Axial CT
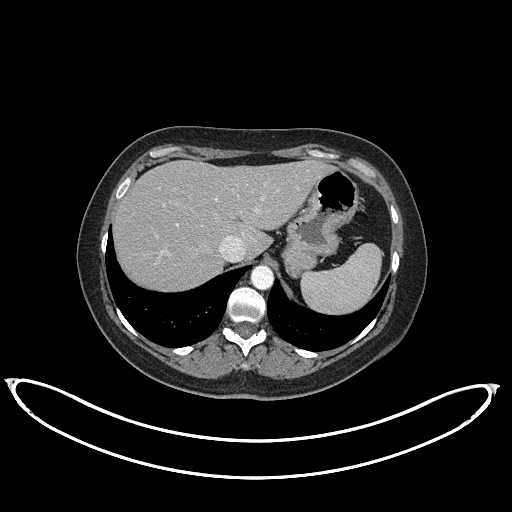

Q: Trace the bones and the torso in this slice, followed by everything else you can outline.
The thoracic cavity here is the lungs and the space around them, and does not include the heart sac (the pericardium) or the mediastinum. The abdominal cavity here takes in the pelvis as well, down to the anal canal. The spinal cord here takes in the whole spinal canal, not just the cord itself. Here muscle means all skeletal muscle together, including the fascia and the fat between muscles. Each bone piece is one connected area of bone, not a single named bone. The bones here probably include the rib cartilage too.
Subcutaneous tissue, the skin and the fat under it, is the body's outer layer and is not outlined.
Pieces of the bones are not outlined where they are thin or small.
A: The bones appear in 10 outlined pieces: piece 1: [[245,356],[247,355],[252,346],[263,342],[267,336],[266,331],[261,325],[266,316],[266,302],[259,293],[247,286],[235,288],[231,292],[228,298],[225,311],[225,315],[228,318],[230,324],[222,328],[222,333],[225,338],[229,341],[236,343],[241,348]]; inner edge: [[244,338],[247,338],[248,337],[249,337],[254,332],[255,332],[256,331],[256,326],[255,325],[255,324],[253,324],[250,322],[247,322],[246,321],[245,321],[244,322],[239,322],[238,323],[236,323],[236,324],[235,325],[235,327],[234,328],[235,331]]; piece 2: [[376,187],[377,187],[377,185],[372,180],[375,177],[374,171],[362,162],[353,158],[349,159],[346,162],[341,162],[337,160],[338,158],[337,154],[323,152],[318,149],[307,150],[307,152],[310,155],[339,161],[340,163],[351,167],[357,171],[364,179]]; piece 3: [[151,158],[157,158],[158,157],[163,156],[166,154],[168,154],[174,151],[180,151],[181,149],[177,146],[173,146],[172,147],[166,147],[165,148],[161,148],[160,149],[156,149],[155,150],[150,150],[149,151],[149,156]]; piece 4: [[117,199],[120,199],[122,197],[122,196],[125,193],[125,192],[127,190],[127,189],[128,188],[128,187],[131,182],[131,177],[130,176],[128,176],[127,177],[126,177],[118,185],[118,187],[117,188],[117,190],[116,191],[116,194],[115,195],[115,196]]; piece 5: [[349,343],[354,343],[358,340],[359,340],[363,336],[364,336],[372,328],[372,327],[374,325],[374,324],[377,319],[377,316],[375,316],[375,317],[362,330],[362,331],[359,334],[358,334],[353,339],[352,339],[350,341],[349,341],[348,342]]; piece 6: [[136,336],[139,336],[140,335],[140,334],[136,330],[135,330],[134,329],[134,328],[127,321],[127,320],[121,313],[121,312],[118,308],[118,307],[117,306],[116,306],[116,312],[117,313],[120,320],[122,322],[122,323],[127,328],[127,329]]; piece 7: [[304,357],[316,357],[317,356],[318,356],[318,353],[317,352],[314,352],[313,351],[309,351],[308,350],[305,350],[304,349],[301,349],[300,348],[298,348],[295,346],[293,346],[293,349],[294,350],[294,351],[295,352],[296,352],[298,354],[299,354]]; piece 8: [[392,273],[395,273],[396,272],[396,271],[397,270],[397,268],[398,267],[398,266],[399,265],[399,256],[398,255],[398,253],[396,251],[394,251],[392,253],[392,255],[391,256],[391,263],[390,264],[390,270],[392,272]]; piece 9: [[179,355],[184,355],[185,354],[187,354],[189,352],[190,352],[194,348],[194,347],[193,346],[193,345],[190,345],[189,346],[185,346],[184,347],[177,347],[176,348],[172,348],[172,351],[174,353],[175,353],[176,354],[178,354]]; piece 10: [[104,255],[105,254],[105,249],[106,248],[106,242],[107,241],[107,234],[108,233],[108,232],[107,231],[107,230],[104,233],[104,234],[103,235],[103,236],[102,237],[102,239],[101,240],[101,250],[102,251],[102,252],[103,253],[103,254]]. The torso is outlined by [[256,400],[290,399],[333,387],[380,360],[403,339],[421,301],[427,276],[425,234],[413,194],[401,169],[387,152],[363,137],[339,130],[177,125],[150,131],[132,141],[116,156],[85,209],[76,244],[82,295],[106,340],[144,375],[166,386],[200,396]]. The muscle is outlined by [[279,380],[297,378],[314,372],[335,361],[337,361],[339,359],[351,353],[363,345],[370,339],[377,335],[383,329],[384,326],[388,321],[388,319],[391,315],[393,306],[394,305],[394,301],[396,295],[396,289],[397,288],[397,275],[399,272],[401,259],[403,256],[403,220],[401,216],[400,209],[397,204],[394,194],[388,182],[379,170],[366,160],[359,157],[347,156],[344,153],[337,149],[328,147],[317,143],[307,143],[294,147],[275,149],[274,150],[220,149],[219,148],[213,148],[212,147],[200,147],[199,146],[190,145],[189,144],[179,144],[176,145],[171,143],[152,147],[139,156],[129,166],[119,179],[109,198],[109,201],[107,205],[103,223],[100,230],[100,233],[99,234],[99,246],[98,247],[98,257],[100,261],[99,264],[99,281],[100,282],[100,289],[102,292],[103,302],[108,315],[115,323],[117,327],[135,344],[169,366],[186,374],[195,376],[196,377],[199,377],[200,378],[217,379],[234,371],[236,372],[239,370],[241,371],[251,370],[252,371],[255,371],[260,375],[267,376]] with holes at [[304,357],[316,357],[318,351],[364,336],[377,319],[389,271],[395,273],[399,265],[398,253],[390,251],[391,223],[397,222],[397,212],[393,205],[387,207],[376,188],[373,170],[356,159],[341,162],[337,154],[310,149],[307,158],[174,157],[118,185],[115,196],[120,203],[102,237],[101,250],[116,312],[129,331],[184,355],[225,315],[230,324],[222,328],[223,335],[246,356],[266,339],[261,325],[266,316],[278,335]] and at [[151,158],[157,158],[158,157],[163,156],[166,154],[168,154],[174,151],[180,151],[181,149],[177,146],[173,146],[172,147],[166,147],[165,148],[161,148],[160,149],[156,149],[155,150],[150,150],[149,151],[149,156]] and at [[243,369],[244,369],[245,369],[246,369],[247,369],[248,369],[249,369],[249,368],[249,367],[249,366],[248,365],[248,364],[247,363],[246,362],[245,362],[244,362],[243,362],[242,363],[241,364],[241,365],[240,366],[241,367],[242,368]]. The abdominal cavity is outlined by [[326,315],[345,315],[360,309],[389,274],[389,209],[378,190],[351,168],[312,156],[282,158],[255,154],[210,160],[174,157],[144,168],[120,200],[110,224],[114,250],[122,271],[136,285],[160,292],[185,291],[230,269],[265,259],[276,266],[290,301]]. The spinal cord is outlined by [[244,338],[247,338],[248,337],[249,337],[254,332],[255,332],[256,331],[256,326],[255,325],[255,324],[253,324],[250,322],[247,322],[246,321],[245,321],[244,322],[239,322],[238,323],[236,323],[236,324],[235,325],[235,327],[234,328],[235,331]]. The thoracic cavity appears in 2 outlined pieces: piece 1: [[167,347],[193,344],[211,334],[221,322],[230,292],[234,288],[237,280],[250,267],[250,265],[230,270],[197,288],[185,292],[160,293],[145,290],[132,283],[121,271],[115,259],[110,226],[108,230],[105,261],[107,277],[116,304],[128,321],[142,335]]; piece 2: [[314,351],[327,350],[337,347],[347,342],[359,333],[376,315],[387,291],[390,276],[389,275],[387,277],[378,293],[363,308],[345,316],[326,316],[318,314],[290,302],[286,298],[278,279],[276,279],[267,300],[268,321],[278,335],[286,341],[298,347]]. The mediastinum is outlined by [[266,301],[273,282],[274,280],[277,278],[277,270],[275,268],[275,266],[274,266],[271,262],[268,262],[265,260],[259,260],[253,264],[250,264],[251,267],[246,271],[238,280],[235,287],[243,286],[244,285],[250,286],[259,292],[264,297]].